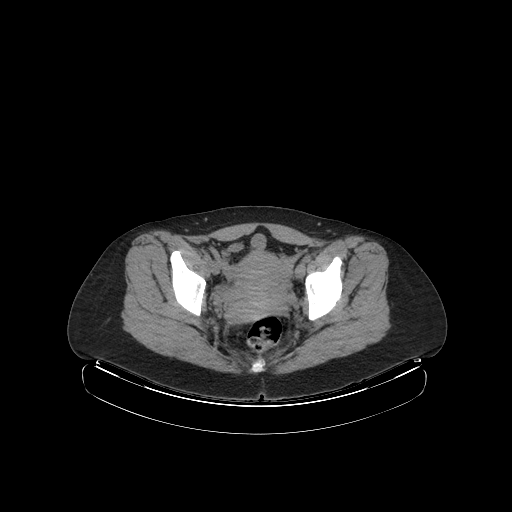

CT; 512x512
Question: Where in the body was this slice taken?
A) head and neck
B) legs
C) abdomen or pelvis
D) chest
Answer: C) abdomen or pelvis
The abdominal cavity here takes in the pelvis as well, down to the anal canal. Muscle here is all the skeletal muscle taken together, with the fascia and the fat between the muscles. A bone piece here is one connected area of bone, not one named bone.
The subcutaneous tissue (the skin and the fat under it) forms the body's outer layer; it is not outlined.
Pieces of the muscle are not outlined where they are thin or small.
{"bones":[[[337,255],[342,259],[341,272],[340,273],[342,282],[341,297],[336,303],[335,306],[328,313],[319,318],[317,318],[315,320],[309,320],[308,319],[308,301],[305,293],[305,279],[306,276],[309,272],[316,270],[320,271],[323,270],[330,263],[334,256]],[[173,250],[180,250],[181,256],[184,260],[186,265],[190,269],[197,272],[202,276],[206,281],[206,286],[205,287],[204,296],[201,305],[201,313],[199,316],[197,316],[183,308],[177,302],[175,298],[174,292],[172,288],[171,265],[169,259],[170,254]],[[259,359],[264,359],[265,360],[265,365],[264,366],[264,368],[265,369],[265,370],[263,372],[255,372],[254,373],[252,373],[251,372],[249,372],[249,369],[251,367],[251,365],[252,364],[252,363],[254,361],[256,361],[257,360],[258,360]]],"abdominal_cavity":[[[258,227],[266,228],[281,242],[315,247],[317,253],[306,266],[305,294],[301,300],[301,321],[292,339],[266,356],[252,357],[242,355],[229,347],[221,339],[216,322],[208,314],[206,287],[210,268],[206,258],[195,245],[210,239],[234,240],[248,235]]],"torso":[[[237,205],[293,208],[369,229],[399,243],[421,266],[442,300],[447,335],[441,349],[431,357],[411,359],[336,391],[274,402],[263,401],[261,396],[254,403],[220,401],[174,391],[107,362],[77,356],[66,331],[71,304],[83,280],[115,238],[146,222]]],"muscle":[{"outer":[[255,220],[284,222],[325,239],[361,235],[379,243],[389,260],[386,298],[391,326],[385,336],[352,354],[312,367],[282,375],[247,376],[216,371],[156,353],[123,330],[120,314],[126,291],[124,260],[130,243],[137,234],[152,228],[199,233],[230,222]],"holes":[[[258,227],[281,242],[317,248],[307,273],[323,270],[339,256],[342,289],[335,306],[315,320],[308,319],[305,294],[292,339],[252,357],[221,339],[205,291],[199,316],[177,302],[169,257],[180,250],[186,265],[208,282],[208,262],[195,245],[234,240]],[[259,359],[264,359],[265,360],[265,365],[264,366],[264,368],[265,369],[265,370],[263,372],[255,372],[254,373],[252,373],[251,372],[249,372],[249,369],[251,367],[251,365],[252,364],[252,363],[254,361],[256,361],[257,360],[258,360]]]}]}